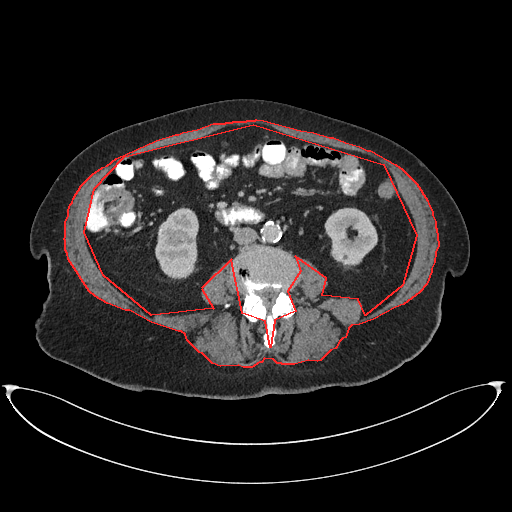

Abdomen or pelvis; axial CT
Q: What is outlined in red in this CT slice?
A: red: muscle.
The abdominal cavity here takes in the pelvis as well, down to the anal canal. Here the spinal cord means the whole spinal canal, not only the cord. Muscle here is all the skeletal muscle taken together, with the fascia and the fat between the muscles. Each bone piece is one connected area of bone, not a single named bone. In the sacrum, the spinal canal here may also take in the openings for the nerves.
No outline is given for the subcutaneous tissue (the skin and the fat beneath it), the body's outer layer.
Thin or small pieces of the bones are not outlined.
Outlined structures:
muscle: [[256,119],[263,120],[300,130],[313,132],[329,137],[333,137],[345,142],[359,146],[367,150],[370,150],[395,164],[402,169],[416,183],[427,200],[428,204],[432,211],[432,215],[435,221],[435,227],[436,228],[438,245],[435,252],[434,262],[431,268],[431,271],[426,284],[419,292],[403,304],[395,307],[373,319],[359,324],[351,325],[348,328],[345,337],[342,338],[339,341],[335,348],[330,350],[320,360],[317,361],[308,360],[294,364],[282,364],[281,363],[277,363],[273,359],[264,358],[261,362],[259,362],[251,367],[243,367],[238,365],[220,366],[212,363],[202,353],[199,352],[187,340],[185,334],[181,331],[178,331],[151,322],[129,310],[125,310],[107,303],[95,296],[89,291],[68,259],[67,253],[65,250],[65,240],[64,239],[65,236],[65,222],[68,215],[68,210],[70,204],[72,202],[73,198],[81,185],[92,174],[102,167],[107,165],[116,158],[156,140],[175,134],[178,134],[182,132],[197,129],[213,123],[225,123],[226,122],[232,122],[233,121],[246,121],[247,120],[255,120]], around a hole outlined by [[253,124],[383,164],[416,235],[402,285],[365,315],[358,299],[322,295],[326,278],[295,256],[300,271],[287,291],[295,311],[274,320],[270,347],[265,321],[242,313],[231,259],[201,288],[213,308],[151,315],[103,275],[84,232],[94,188],[124,156]]
spinal cord: [[266,288],[271,288],[272,289],[277,291],[277,295],[276,296],[276,297],[273,300],[270,300],[269,301],[267,301],[266,302],[265,302],[262,299],[262,298],[258,294],[257,294],[257,291],[260,291],[261,290],[262,290],[263,289],[265,289]]
abdominal cavity: [[253,124],[365,154],[392,174],[413,219],[416,248],[407,277],[381,307],[363,315],[358,299],[322,295],[328,281],[313,263],[264,244],[240,246],[216,268],[200,291],[214,307],[189,313],[147,313],[96,265],[86,242],[84,215],[94,188],[121,158]]
torso: [[234,98],[287,103],[367,128],[408,149],[440,180],[462,214],[470,253],[461,276],[446,275],[441,320],[431,341],[411,360],[364,384],[236,400],[130,390],[48,356],[34,328],[49,291],[47,259],[32,256],[29,236],[59,173],[80,151],[114,130]]
bones: [[251,245],[279,248],[291,254],[300,266],[296,284],[287,291],[295,311],[287,319],[278,316],[274,320],[275,343],[270,347],[266,347],[263,343],[265,321],[260,318],[256,322],[251,322],[243,315],[244,292],[236,289],[230,277],[232,259],[240,247]]; inner edge: [[266,288],[271,288],[272,289],[277,291],[277,295],[276,296],[276,297],[273,300],[270,300],[269,301],[267,301],[266,302],[265,302],[262,299],[262,298],[258,294],[257,294],[257,291],[260,291],[261,290],[262,290],[263,289],[265,289]]